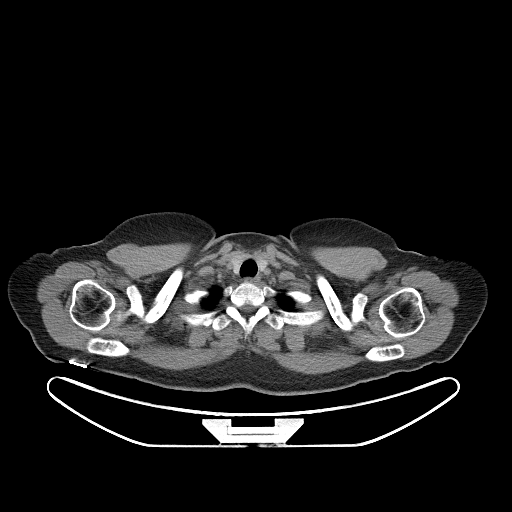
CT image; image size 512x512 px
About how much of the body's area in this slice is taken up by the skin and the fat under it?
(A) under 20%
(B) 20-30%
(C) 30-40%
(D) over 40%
Answer: (C) 30-40%
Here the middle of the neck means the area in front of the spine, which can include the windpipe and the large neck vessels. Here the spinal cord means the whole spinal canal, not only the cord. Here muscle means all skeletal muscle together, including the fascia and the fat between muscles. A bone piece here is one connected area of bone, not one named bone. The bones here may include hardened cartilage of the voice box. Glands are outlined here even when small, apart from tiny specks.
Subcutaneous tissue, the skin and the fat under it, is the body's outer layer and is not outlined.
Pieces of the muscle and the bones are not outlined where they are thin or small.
The spinal cord is outlined by 246,304 249,304 250,305 251,305 252,306 253,306 256,308 255,311 252,314 251,314 249,316 248,316 247,317 246,316 244,316 241,313 241,312 239,310 239,308 240,307 241,307 243,305 245,305. The thyroid glands appear in 2 outlined pieces: piece 1: 242,252 243,253 246,253 249,255 246,256 242,260 242,261 240,263 240,265 239,266 239,268 237,272 235,272 233,270 234,269 233,267 233,263 232,262 232,260 230,258 233,255 235,255 238,253 241,253; piece 2: 254,254 258,254 259,255 261,255 262,256 265,257 268,260 268,264 265,268 265,269 263,271 261,271 260,270 259,270 259,269 258,268 258,266 257,265 257,263 256,262 255,259 253,257 253,255. The right arm is outlined by 89,243 97,245 123,270 127,282 127,301 125,309 123,313 98,337 91,347 76,362 54,362 46,358 37,349 29,332 19,322 13,311 7,296 6,289 8,277 17,264 35,252 51,252 56,248 62,246. The middle of the neck is outlined by 249,254 252,254 261,272 269,264 267,258 278,264 285,294 294,302 295,310 279,307 274,298 278,293 276,289 250,281 223,287 222,297 212,309 201,305 217,280 222,262 229,258 232,270 237,273. The muscle appears in 2 outlined pieces: piece 1: 224,240 246,247 274,242 299,255 317,245 369,246 386,257 388,271 407,265 428,267 457,286 460,299 453,327 441,345 423,355 401,359 405,354 401,343 374,345 363,356 369,361 321,374 287,370 250,351 210,365 172,370 126,356 130,348 118,338 90,337 89,353 60,346 44,326 36,287 62,263 105,261 107,250 127,242 191,242 206,254 with holes at 242,252 276,262 285,292 302,291 311,296 308,302 295,303 295,310 319,309 322,318 304,326 285,323 278,330 261,319 247,336 235,320 219,330 183,321 181,313 211,310 186,301 184,295 209,290 222,262 and at 82,279 93,279 95,280 104,288 110,291 115,298 115,308 110,314 110,320 108,324 98,331 92,331 91,330 88,330 87,329 82,328 80,326 77,325 71,319 69,315 70,296 71,295 72,287 77,281 and at 401,287 413,287 419,291 422,297 423,308 424,309 424,313 425,314 425,321 423,323 422,326 415,333 411,335 396,338 385,331 383,328 383,321 379,316 378,309 379,308 379,305 383,299 384,299 389,294 and at 178,266 183,268 182,278 166,310 156,321 145,323 134,314 131,314 120,321 116,318 118,311 124,312 130,306 130,301 126,293 128,286 134,284 137,287 142,296 144,307 147,310 152,305 155,296 170,274 and at 317,273 321,273 327,279 339,299 343,311 347,315 352,309 352,298 358,292 365,294 367,296 367,301 363,310 363,314 370,324 361,321 357,323 350,331 345,331 340,328 330,315 324,298 317,286 315,279; piece 2: 223,297 224,298 227,298 227,300 225,302 225,303 224,304 224,305 223,306 223,307 222,308 222,309 221,310 220,310 219,309 213,309 217,305 217,304 218,303 218,302. The left arm is outlined by 403,250 412,250 441,258 457,258 465,260 475,266 486,280 488,299 479,321 458,351 450,359 442,363 433,362 421,368 414,365 399,354 377,332 366,316 363,305 363,295 365,283 371,271 379,262 390,258. The bones appear in 9 outlined pieces: piece 1: 241,282 276,290 275,296 269,299 274,310 319,309 323,316 304,326 285,323 278,330 261,319 247,336 235,320 219,330 211,325 189,324 179,317 181,313 221,311 228,300 223,296 223,288 229,285 234,288 with a hole at 246,304 249,304 250,305 251,305 252,306 253,306 256,308 255,311 252,314 251,314 249,316 248,316 247,317 246,316 244,316 241,313 241,312 239,310 239,308 240,307 241,307 243,305 245,305; piece 2: 82,279 93,279 95,280 104,288 110,291 115,298 115,308 110,314 110,320 108,324 98,331 92,331 91,330 88,330 87,329 82,328 80,326 77,325 71,319 69,315 70,296 71,295 72,287 77,281; piece 3: 401,287 413,287 419,291 422,297 423,308 424,309 424,313 425,314 425,321 423,323 422,326 415,333 411,335 396,338 385,331 383,328 383,321 379,316 378,309 379,308 379,305 383,299 384,299 389,294; piece 4: 178,266 183,268 182,278 166,310 156,321 145,323 134,314 131,314 120,321 116,318 118,311 124,312 130,306 130,301 126,293 128,286 134,284 137,287 142,296 144,307 147,310 152,305 155,296 170,274; piece 5: 317,273 321,273 327,279 339,299 343,311 347,315 352,309 352,298 358,292 365,294 367,296 367,301 363,310 363,314 370,324 361,321 357,323 350,331 345,331 340,328 330,315 324,298 317,286 315,279; piece 6: 95,336 99,336 100,337 102,337 106,339 118,339 129,348 129,352 125,356 121,356 120,357 111,357 110,356 105,356 104,355 100,355 99,354 90,353 87,350 87,342 90,338 92,337 94,337; piece 7: 395,343 399,343 401,344 404,348 404,354 401,357 397,359 393,359 392,360 388,360 387,361 381,361 380,362 375,362 374,361 370,361 366,359 364,356 365,354 372,347 374,346 381,346 382,345 394,344; piece 8: 196,289 198,289 199,290 207,290 208,291 208,295 203,297 201,299 201,300 200,301 200,303 199,304 195,304 194,303 190,303 189,302 186,301 184,299 184,295 186,293 187,293 188,292 191,292; piece 9: 287,291 302,291 305,293 307,293 308,294 309,294 311,296 311,299 308,302 306,302 303,304 297,304 296,303 295,303 295,302 293,300 293,299 290,296 289,296 286,294 286,292. The torso is outlined by 157,211 199,216 218,236 287,236 299,223 331,216 355,218 390,234 403,249 372,268 362,305 376,332 419,369 334,391 270,395 242,387 209,392 170,389 78,363 124,313 128,301 124,270 92,242 127,218.